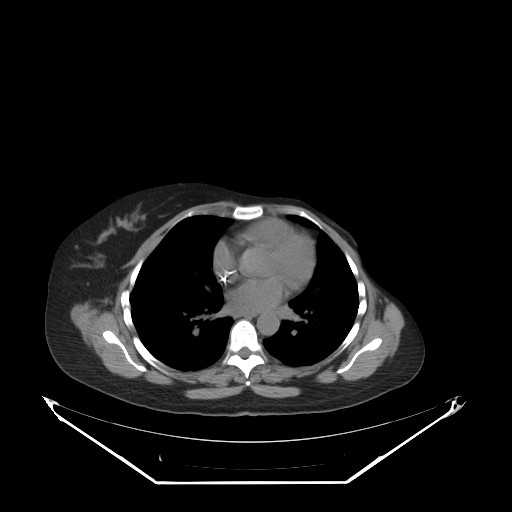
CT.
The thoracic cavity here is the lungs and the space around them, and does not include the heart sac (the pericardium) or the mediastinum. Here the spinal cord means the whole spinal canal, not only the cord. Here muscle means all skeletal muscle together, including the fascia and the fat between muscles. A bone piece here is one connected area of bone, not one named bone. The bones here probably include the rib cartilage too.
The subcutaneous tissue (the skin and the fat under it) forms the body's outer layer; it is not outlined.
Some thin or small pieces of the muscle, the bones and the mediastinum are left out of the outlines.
torso: 182 181; 207 182; 260 196; 299 198; 347 226; 355 235; 369 274; 402 302; 421 331; 425 356; 416 376; 401 387; 335 411; 229 417; 174 414; 132 405; 64 373; 51 356; 44 335; 47 282; 57 247; 76 226; 112 200; 139 189
thoracic cavity 1: 210 214; 215 217; 232 219; 232 223; 221 230; 221 235; 213 248; 212 272; 222 290; 225 315; 231 317; 233 323; 229 330; 224 353; 219 359; 208 366; 183 371; 168 366; 144 345; 132 319; 130 294; 144 261; 166 233; 186 218
thoracic cavity 2: 288 215; 309 220; 333 241; 343 253; 356 280; 358 295; 355 319; 338 346; 324 358; 312 364; 297 366; 283 363; 268 354; 262 343; 265 338; 273 336; 279 330; 288 312; 289 301; 306 288; 317 261; 318 230; 293 221; 287 217
pericardium: 261 216; 275 216; 278 218; 283 218; 293 224; 305 228; 315 239; 315 264; 309 281; 297 295; 289 299; 279 310; 250 310; 242 309; 232 305; 224 297; 222 287; 217 281; 213 271; 213 253; 218 241; 235 225; 246 220; 252 220
mediastinum 1: 224 298; 229 304; 242 310; 279 311; 285 306; 288 301; 287 304; 288 307; 285 317; 281 321; 278 330; 273 335; 265 337; 261 342; 259 340; 255 326; 249 320; 245 318; 240 318; 234 322; 231 316; 226 315; 224 307
mediastinum 2: 271 212; 279 212; 281 214; 287 215; 286 217; 289 220; 298 224; 300 224; 301 225; 302 226; 304 226; 317 230; 318 236; 316 241; 316 245; 316 239; 308 229; 307 229; 303 226; 301 226; 293 223; 291 221; 289 221; 283 217; 278 217; 275 215; 266 215; 269 214
mediastinum 3: 233 219; 235 219; 236 220; 245 220; 244 220; 241 222; 239 222; 238 223; 235 224; 228 231; 228 232; 227 232; 225 234; 224 234; 221 237; 221 236; 222 235; 222 230; 223 229; 226 228; 228 226; 231 225; 233 223
spinal cord: 243 347; 246 347; 248 349; 249 349; 250 350; 250 351; 251 352; 251 353; 247 357; 246 357; 245 358; 244 358; 243 357; 242 357; 241 356; 240 356; 238 354; 238 351; 240 349; 241 349
muscle: 229 200; 239 204; 229 214; 192 209; 180 216; 131 270; 128 287; 120 294; 122 319; 129 329; 135 329; 132 343; 149 365; 171 375; 168 367; 195 371; 221 358; 222 365; 235 366; 243 373; 248 387; 250 372; 263 365; 268 355; 292 367; 312 365; 334 351; 337 356; 355 338; 360 328; 356 317; 368 305; 365 284; 356 279; 358 268; 349 253; 304 210; 296 207; 288 206; 278 208; 265 215; 260 203; 288 204; 305 208; 345 239; 370 282; 403 315; 395 353; 366 378; 306 385; 300 394; 282 398; 265 397; 246 388; 221 398; 187 399; 162 384; 109 371; 71 321; 73 304; 99 298; 113 302; 118 284; 127 274; 120 267; 155 230; 187 208, around holes outlined by 105 330; 110 330; 112 331; 118 338; 118 339; 124 345; 131 359; 137 364; 144 366; 147 370; 146 371; 140 371; 133 365; 132 365; 127 360; 122 349; 117 344; 115 343; 110 343; 108 342; 103 337; 102 335; 102 332 and by 376 337; 379 337; 381 338; 381 343; 377 348; 373 350; 366 350; 362 352; 357 356; 351 366; 347 370; 341 373; 337 373; 336 372; 337 369; 344 367; 350 361; 354 354; 358 350; 359 350; 364 345; 365 345; 372 339
bones 1: 240 319; 245 319; 254 326; 257 333; 258 340; 262 344; 267 355; 267 360; 263 364; 257 364; 249 372; 248 379; 250 384; 248 386; 245 384; 246 378; 244 373; 237 366; 221 363; 221 360; 225 353; 229 341; 230 330; 233 324; inner edge: 243 347; 246 347; 248 349; 249 349; 250 350; 250 351; 251 352; 251 353; 247 357; 246 357; 245 358; 244 358; 243 357; 242 357; 241 356; 240 356; 238 354; 238 351; 240 349; 241 349
bones 2: 141 259; 144 260; 137 274; 133 287; 129 294; 129 303; 130 304; 131 319; 134 325; 134 329; 133 329; 132 328; 129 328; 126 325; 123 319; 123 310; 121 305; 121 294; 124 290; 126 290; 129 287; 130 276; 132 270
bones 3: 135 335; 138 336; 139 339; 143 345; 154 357; 155 357; 158 360; 167 366; 168 368; 167 369; 168 371; 171 373; 171 374; 165 374; 163 372; 160 371; 158 369; 155 368; 149 364; 141 356; 141 355; 136 349; 133 343; 133 336
bones 4: 255 204; 260 204; 262 206; 264 210; 263 215; 261 215; 260 216; 255 217; 252 219; 236 219; 230 216; 230 213; 231 211; 236 206; 238 205; 242 205; 243 206; 246 206; 247 205; 254 205
bones 5: 105 330; 110 330; 112 331; 118 338; 118 339; 124 345; 131 359; 137 364; 144 366; 147 370; 146 371; 140 371; 133 365; 132 365; 127 360; 122 349; 117 344; 115 343; 110 343; 108 342; 103 337; 102 335; 102 332
bones 6: 376 337; 379 337; 381 338; 381 343; 377 348; 373 350; 366 350; 362 352; 357 356; 351 366; 347 370; 341 373; 337 373; 336 372; 337 369; 344 367; 350 361; 354 354; 358 350; 359 350; 364 345; 365 345; 372 339
bones 7: 355 320; 357 320; 359 321; 359 328; 358 329; 358 331; 356 335; 354 337; 354 338; 349 343; 349 344; 340 353; 339 353; 337 355; 335 355; 335 350; 339 346; 339 345; 345 338; 345 337; 349 332; 350 329; 352 327
bones 8: 288 207; 292 207; 293 208; 296 208; 297 209; 304 211; 308 215; 319 222; 322 226; 323 230; 322 229; 320 229; 312 221; 303 216; 300 216; 296 214; 284 214; 283 213; 281 213; 277 210; 278 209; 280 209; 281 208; 287 208
bones 9: 358 280; 360 280; 364 284; 364 286; 365 287; 365 298; 366 299; 366 304; 367 305; 366 306; 365 312; 361 316; 356 316; 357 315; 357 311; 358 310; 358 306; 359 305; 359 295; 358 294; 358 286; 357 285; 357 281
bones 10: 192 210; 193 211; 198 211; 199 210; 208 210; 210 213; 209 214; 198 214; 197 215; 193 215; 192 216; 189 216; 188 217; 186 217; 185 218; 180 220; 169 229; 170 226; 176 220; 177 220; 180 217; 181 217; 189 211; 191 211
bones 11: 344 252; 347 252; 348 253; 348 254; 350 256; 350 257; 356 265; 356 267; 357 268; 357 271; 358 272; 358 276; 357 277; 355 277; 355 276; 353 274; 353 273; 352 272; 352 270; 351 269; 351 268; 347 261; 347 259; 344 254